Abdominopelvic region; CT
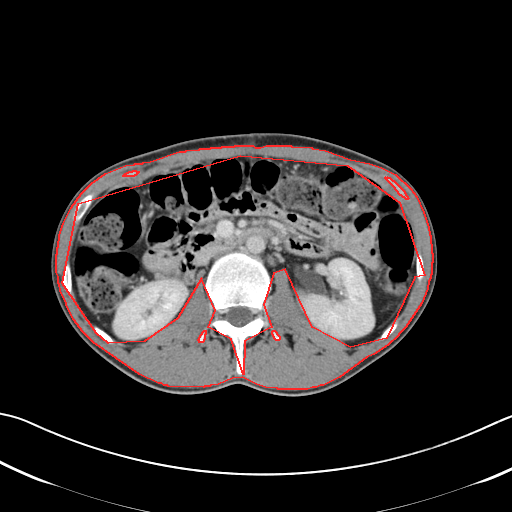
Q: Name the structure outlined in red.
A: red: muscle.
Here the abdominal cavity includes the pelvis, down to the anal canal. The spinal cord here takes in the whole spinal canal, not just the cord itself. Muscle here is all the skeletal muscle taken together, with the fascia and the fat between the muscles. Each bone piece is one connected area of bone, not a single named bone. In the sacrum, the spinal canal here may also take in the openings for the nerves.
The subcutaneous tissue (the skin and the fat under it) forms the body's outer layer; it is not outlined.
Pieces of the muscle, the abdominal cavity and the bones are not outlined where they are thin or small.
Outlines (x, y in pixels):
muscle: 235,145 252,145 255,147 260,147 266,145 290,145 291,146 311,147 312,148 325,150 350,159 369,163 381,167 395,174 410,188 416,196 423,212 428,227 429,234 430,235 431,252 432,253 432,262 431,263 431,274 430,275 430,278 428,281 427,288 421,303 405,327 398,334 398,335 387,345 373,354 366,357 339,377 323,385 320,385 316,387 312,387 307,389 278,389 277,388 265,387 256,384 242,377 232,378 218,384 210,385 209,386 204,386 203,387 168,386 167,385 164,385 161,383 158,383 139,374 93,342 82,331 74,320 66,305 66,303 60,290 59,284 58,283 58,276 56,272 56,254 57,253 57,247 58,246 59,235 63,223 71,207 81,193 91,183 105,173 125,165 134,164 135,163 142,163 143,162 150,161 179,151 185,151 186,150 199,149 200,148 210,148 211,147 221,147 222,146 234,146; inner edges: 240,155 347,165 399,202 424,275 414,277 386,338 350,347 312,327 285,269 273,273 263,304 271,327 244,341 243,374 231,339 208,327 215,310 201,278 177,318 144,341 108,343 96,333 62,283 78,203, then 386,176 387,177 389,177 392,180 393,180 404,191 404,192 405,193 405,194 407,196 407,197 408,198 407,199 406,199 404,197 403,197 401,195 400,195 398,193 398,192 395,189 395,188 385,178 385,177, then 133,170 135,170 136,171 138,171 138,172 135,175 134,175 133,176 123,176 123,175 125,173 126,173 127,172 128,172 129,171 132,171, then 204,330 205,330 205,334 204,335 204,339 203,340 203,341 202,342 199,342 199,341 198,340 198,339 199,338 199,337 200,336 200,335 202,333 202,332, then 273,330 274,330 275,331 276,332 276,333 277,334 278,335 279,336 279,337 279,338 279,339 278,340 277,340 276,340 275,339 274,338 274,337 273,336 273,335 272,334 272,333 272,332 272,331
bones 1: 233,251 260,258 272,284 272,289 263,304 266,309 265,316 271,327 263,327 257,335 245,339 243,374 236,372 235,347 231,339 227,335 218,333 213,327 208,327 214,318 215,310 205,290 206,277 217,258; inner edge: 239,306 241,307 247,307 249,308 252,311 252,312 254,314 255,314 255,316 253,319 241,326 236,326 235,325 233,325 227,320 222,318 222,315 223,315 227,311 227,309 228,308 230,308 231,307 238,307
bones 2: 91,193 94,193 95,194 92,200 91,204 89,206 89,207 87,209 87,210 85,212 81,219 77,223 75,223 73,221 72,216 73,215 73,213 74,212 74,210 76,206 78,204 78,203 86,195 90,194
bones 3: 67,263 69,263 70,264 70,266 71,267 71,285 72,286 72,291 71,292 71,295 69,295 67,293 67,292 64,289 64,288 63,287 63,284 62,283 62,274 63,273 63,271 64,270 65,265
bones 4: 394,320 396,320 397,321 397,326 395,328 395,329 386,338 385,338 384,339 383,339 382,340 380,340 379,339 379,337 380,336 380,335 383,332 383,331
bones 5: 95,325 96,326 97,326 98,327 99,327 101,329 102,329 106,333 107,333 113,339 113,340 114,341 113,342 113,343 108,343 107,342 106,342 105,341 104,341 96,333 96,332 94,329 94,326
bones 6: 386,176 387,177 389,177 392,180 393,180 404,191 404,192 405,193 405,194 407,196 407,197 408,198 407,199 406,199 404,197 403,197 401,195 400,195 398,193 398,192 395,189 395,188 385,178 385,177
spinal cord: 239,306 241,307 247,307 249,308 252,311 252,312 254,314 255,314 255,316 253,319 241,326 236,326 235,325 233,325 227,320 222,318 222,315 223,315 227,311 227,309 228,308 230,308 231,307 238,307
torso: 249,132 293,133 326,140 376,158 403,174 419,192 434,228 437,275 431,297 410,331 390,351 349,379 318,393 276,395 238,383 197,394 151,388 93,351 66,319 50,273 56,226 80,186 117,161 187,139
abdominal cavity: 240,155 347,165 399,202 414,231 415,276 403,309 378,336 350,347 321,333 300,314 286,270 276,270 272,279 260,257 238,250 213,261 172,323 133,346 85,315 72,285 71,255 94,200 171,168